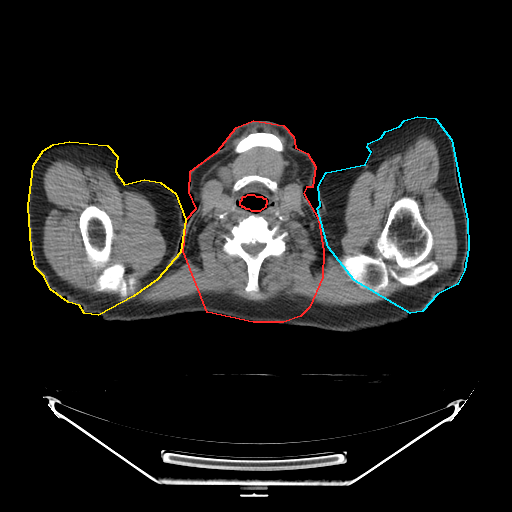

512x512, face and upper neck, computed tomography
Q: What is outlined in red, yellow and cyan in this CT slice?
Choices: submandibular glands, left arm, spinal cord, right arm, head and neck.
A: red: head and neck; yellow: right arm; cyan: left arm.
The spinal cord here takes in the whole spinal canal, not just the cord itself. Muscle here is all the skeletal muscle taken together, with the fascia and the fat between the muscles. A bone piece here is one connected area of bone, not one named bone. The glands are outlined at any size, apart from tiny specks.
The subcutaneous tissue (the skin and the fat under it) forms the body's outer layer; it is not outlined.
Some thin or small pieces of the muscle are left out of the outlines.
The head and neck is outlined by 253 120; 283 125; 293 136; 295 147; 307 153; 315 166; 312 187; 306 187; 303 193; 318 219; 323 251; 322 277; 309 307; 300 316; 283 322; 253 322; 207 312; 183 251; 186 219; 196 208; 189 192; 190 171; 217 151; 236 127, around a hole outlined by 248 194; 253 194; 256 196; 261 196; 263 198; 265 198; 266 200; 266 204; 265 205; 265 207; 259 211; 252 211; 249 209; 246 209; 244 207; 242 207; 242 206; 240 205; 240 201; 242 199; 242 197; 243 196; 245 196. The right arm is outlined by 69 141; 107 145; 117 156; 115 171; 124 184; 144 179; 160 182; 175 193; 185 219; 180 252; 157 279; 133 296; 98 315; 84 313; 79 305; 68 302; 50 289; 44 276; 35 267; 31 248; 28 206; 33 165; 43 150; 53 144. The left arm is outlined by 417 116; 435 118; 451 139; 467 220; 468 248; 464 270; 457 284; 437 294; 422 311; 410 313; 354 280; 328 247; 317 208; 320 205; 318 186; 326 172; 365 164; 371 152; 367 147; 368 143; 381 137; 385 131; 399 126; 404 120. The spinal cord is outlined by 256 243; 260 243; 261 244; 264 244; 264 246; 263 247; 263 248; 260 251; 259 251; 255 255; 252 255; 251 254; 250 254; 248 252; 247 252; 244 249; 244 248; 243 247; 243 245; 248 245; 249 244; 252 244; 253 245. The muscle is outlined by 255 125; 276 129; 289 143; 300 166; 304 208; 329 249; 335 248; 344 229; 347 193; 355 179; 418 132; 430 132; 456 227; 457 256; 445 273; 382 302; 354 307; 301 298; 250 301; 218 293; 131 303; 73 288; 56 275; 42 247; 43 173; 52 158; 99 163; 120 188; 138 191; 151 201; 168 243; 156 272; 164 274; 180 264; 192 241; 202 208; 200 178; 225 155; 233 139 with holes at 403 196; 412 197; 418 203; 422 219; 433 238; 432 247; 423 261; 434 261; 438 271; 414 286; 406 286; 389 275; 387 286; 377 292; 361 288; 346 274; 340 260; 346 254; 361 253; 375 258; 381 255; 375 247; 376 241; 390 208 and at 90 204; 105 211; 111 220; 114 235; 110 258; 106 265; 123 264; 125 269; 124 278; 126 280; 132 276; 137 280; 135 291; 126 297; 121 297; 117 293; 97 291; 94 287; 102 269; 93 267; 88 261; 79 228; 79 216 and at 252 213; 263 216; 270 227; 279 225; 278 232; 286 231; 287 235; 283 239; 286 244; 283 253; 278 256; 270 255; 261 263; 258 291; 247 292; 246 262; 237 255; 229 255; 223 250; 223 245; 224 235; 230 233; 230 228; 238 219 and at 259 131; 272 133; 277 136; 280 139; 283 145; 283 150; 282 151; 277 151; 270 147; 266 147; 265 146; 254 146; 245 151; 243 151; 239 153; 236 152; 234 150; 236 145; 240 140; 247 136; 250 133; 254 133; 255 132; 258 132 and at 248 175; 258 175; 262 177; 268 178; 272 181; 276 182; 277 184; 277 190; 276 192; 273 192; 261 182; 258 182; 257 181; 250 182; 246 185; 243 186; 240 189; 236 191; 233 191; 233 186; 235 182; 242 177; 244 176; 247 176 and at 248 194; 253 194; 256 196; 261 196; 263 198; 265 198; 266 200; 266 204; 265 205; 265 207; 259 211; 252 211; 249 209; 246 209; 244 207; 242 207; 242 206; 240 205; 240 201; 242 199; 242 197; 243 196; 245 196 and at 224 166; 227 166; 230 169; 231 169; 231 175; 232 176; 232 180; 231 181; 231 183; 226 183; 224 181; 223 181; 217 175; 217 174; 216 173; 216 172; 217 171; 217 169; 218 168; 219 168; 220 167; 223 167. The torso appears in 2 outlined pieces: piece 1: 319 222; 327 247; 353 280; 364 289; 409 313; 410 314; 409 317; 406 320; 377 328; 353 332; 325 330; 315 327; 301 325; 267 323; 283 323; 292 321; 300 317; 313 303; 319 291; 324 270; 324 251; 322 244; 322 235; 318 224; piece 2: 182 243; 182 251; 185 258; 186 267; 189 276; 197 291; 200 302; 204 307; 206 312; 184 313; 173 316; 155 318; 148 320; 139 320; 131 322; 105 321; 100 317; 99 315; 128 300; 153 284; 158 279; 169 264; 181 252. The submandibular glands are outlined by 224 166; 227 166; 230 169; 231 169; 231 175; 232 176; 232 180; 231 181; 231 183; 226 183; 224 181; 223 181; 217 175; 217 174; 216 173; 216 172; 217 171; 217 169; 218 168; 219 168; 220 167; 223 167. The bones appear in 5 outlined pieces: piece 1: 403 196; 412 197; 418 203; 422 219; 433 238; 432 247; 423 261; 434 261; 438 271; 414 286; 406 286; 389 275; 387 286; 377 292; 361 288; 346 274; 340 260; 346 254; 361 253; 375 258; 381 255; 375 247; 376 241; 390 208 with a hole at 385 260; 387 260; 388 261; 393 261; 394 262; 394 263; 395 264; 395 267; 393 267; 391 265; 388 265; 387 264; 387 263; 385 261; piece 2: 90 204; 105 211; 111 220; 114 235; 110 258; 106 265; 123 264; 125 269; 124 278; 126 280; 132 276; 137 280; 135 291; 126 297; 121 297; 117 293; 97 291; 94 287; 102 269; 93 267; 88 261; 79 228; 79 216; piece 3: 252 213; 263 216; 270 227; 279 225; 278 232; 286 231; 287 235; 283 239; 286 244; 283 253; 278 256; 270 255; 261 263; 258 291; 247 292; 246 262; 237 255; 229 255; 223 250; 223 245; 224 235; 230 233; 230 228; 238 219 with a hole at 256 243; 260 243; 261 244; 264 244; 264 246; 263 247; 263 248; 260 251; 259 251; 255 255; 252 255; 251 254; 250 254; 248 252; 247 252; 244 249; 244 248; 243 247; 243 245; 248 245; 249 244; 252 244; 253 245; piece 4: 259 131; 272 133; 277 136; 280 139; 283 145; 283 150; 282 151; 277 151; 270 147; 266 147; 265 146; 254 146; 245 151; 243 151; 239 153; 236 152; 234 150; 236 145; 240 140; 247 136; 250 133; 254 133; 255 132; 258 132; piece 5: 248 175; 258 175; 262 177; 268 178; 272 181; 276 182; 277 184; 277 190; 276 192; 273 192; 261 182; 258 182; 257 181; 250 182; 246 185; 243 186; 240 189; 236 191; 233 191; 233 186; 235 182; 242 177; 244 176; 247 176.